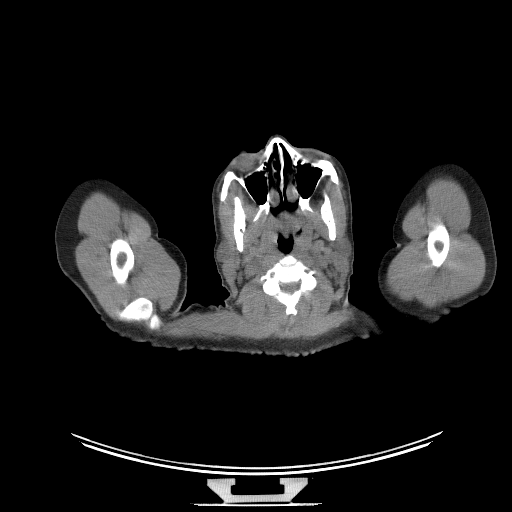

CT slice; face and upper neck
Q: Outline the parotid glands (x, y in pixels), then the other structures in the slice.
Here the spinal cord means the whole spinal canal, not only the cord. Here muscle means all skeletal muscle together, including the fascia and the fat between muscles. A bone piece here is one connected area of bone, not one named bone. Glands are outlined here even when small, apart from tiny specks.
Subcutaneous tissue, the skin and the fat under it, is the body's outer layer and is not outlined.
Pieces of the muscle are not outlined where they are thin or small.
A: The parotid glands appear in 2 outlined pieces: piece 1: (342, 231) (343, 231) (343, 233) (345, 237) (347, 238) (350, 244) (350, 251) (348, 255) (343, 255) (340, 252) (339, 250) (333, 248) (330, 244) (330, 243) (333, 243) (337, 239) (337, 238) (339, 236) (339, 234) (340, 232); piece 2: (226, 240) (227, 240) (227, 241) (228, 242) (229, 242) (229, 246) (230, 247) (230, 251) (229, 252) (229, 255) (228, 256) (228, 257) (224, 261) (222, 261) (218, 258) (218, 255) (217, 254) (217, 251) (218, 250) (218, 247) (219, 246) (219, 245) (223, 242) (224, 242). The muscle appears in 2 outlined pieces: piece 1: (330, 160) (345, 191) (347, 237) (343, 230) (337, 237) (325, 191) (319, 213) (330, 246) (349, 255) (342, 301) (357, 319) (326, 335) (218, 340) (148, 333) (109, 317) (78, 271) (77, 215) (99, 189) (142, 215) (179, 266) (178, 294) (167, 312) (172, 319) (227, 309) (233, 297) (220, 261) (231, 251) (227, 239) (220, 243) (217, 186) (222, 176) (219, 201) (226, 200) (236, 181) (257, 203) (254, 221) (297, 207) (304, 214) (313, 211) (312, 193) (324, 178) (340, 183) with holes at (288, 253) (300, 260) (310, 268) (314, 269) (316, 271) (314, 276) (317, 281) (316, 286) (312, 290) (303, 294) (300, 297) (296, 304) (297, 313) (294, 315) (293, 314) (287, 315) (285, 313) (285, 306) (263, 291) (262, 282) (260, 280) (261, 276) (269, 268) and at (137, 297) (146, 297) (152, 302) (153, 311) (161, 318) (163, 322) (163, 325) (160, 328) (160, 329) (158, 330) (152, 330) (150, 329) (143, 321) (138, 323) (137, 322) (126, 322) (125, 321) (121, 321) (117, 318) (114, 312) (116, 310) (120, 310) (122, 309) (126, 304) and at (117, 238) (122, 238) (126, 240) (131, 247) (134, 254) (134, 266) (133, 267) (133, 269) (129, 273) (127, 282) (124, 286) (120, 286) (116, 283) (112, 274) (112, 270) (111, 269) (111, 266) (110, 265) (110, 260) (109, 259) (109, 254) (110, 253) (110, 245) (111, 243) and at (235, 196) (237, 196) (241, 200) (242, 207) (246, 215) (246, 218) (245, 219) (246, 224) (245, 225) (245, 230) (243, 233) (243, 250) (241, 252) (240, 252) (236, 248) (236, 243) (233, 235) (233, 221) (234, 220) (233, 218) (233, 214) (234, 213) (234, 201) (233, 200) and at (279, 236) (281, 236) (283, 238) (285, 238) (286, 239) (287, 238) (288, 238) (290, 236) (291, 236) (292, 237) (292, 239) (293, 240) (293, 243) (292, 244) (290, 249) (288, 251) (285, 251) (283, 249) (281, 249) (279, 247) (279, 246) (278, 245) (278, 237); piece 2: (439, 173) (455, 178) (468, 196) (472, 216) (469, 230) (483, 249) (486, 273) (484, 280) (475, 290) (451, 301) (443, 302) (436, 307) (427, 308) (417, 301) (402, 301) (388, 292) (384, 278) (389, 263) (404, 244) (401, 227) (404, 214) (412, 203) (424, 194) (429, 181) with a hole at (439, 222) (441, 222) (445, 226) (449, 234) (449, 239) (450, 240) (450, 246) (449, 247) (449, 250) (448, 251) (447, 256) (444, 262) (439, 267) (435, 267) (431, 265) (431, 261) (427, 255) (427, 236) (428, 235) (428, 233) (429, 231) (433, 227) (433, 225). The spinal cord is outlined by (292, 282) (299, 282) (299, 286) (298, 287) (298, 288) (296, 290) (295, 290) (292, 293) (288, 293) (287, 292) (284, 292) (281, 289) (281, 288) (280, 287) (280, 284) (281, 283) (291, 283). The bones appear in 7 outlined pieces: piece 1: (274, 136) (285, 139) (306, 156) (329, 160) (339, 183) (335, 184) (326, 176) (314, 190) (320, 170) (307, 163) (299, 165) (294, 178) (296, 187) (304, 198) (311, 195) (309, 204) (312, 211) (303, 213) (295, 201) (289, 201) (283, 194) (277, 205) (271, 205) (267, 215) (262, 213) (254, 220) (258, 204) (266, 200) (268, 187) (264, 172) (255, 172) (245, 179) (253, 198) (233, 180) (222, 202) (219, 197) (223, 177) (228, 170) (238, 175) (248, 171), around holes outlined by (285, 153) (286, 153) (288, 155) (288, 156) (289, 157) (289, 159) (290, 160) (290, 165) (289, 166) (288, 166) (287, 167) (287, 170) (286, 171) (286, 175) (286, 158) (285, 157) and by (275, 146) (275, 147) (276, 148) (276, 152) (277, 153) (277, 159) (278, 160) (278, 167) (277, 168) (276, 167) (276, 158) (274, 156) (273, 156) (272, 157) (272, 158) (272, 155) (274, 153) (274, 148) (275, 147); piece 2: (288, 253) (300, 260) (310, 268) (314, 269) (316, 271) (314, 276) (317, 281) (316, 286) (312, 290) (303, 294) (300, 297) (296, 304) (297, 313) (294, 315) (293, 314) (287, 315) (285, 313) (285, 306) (263, 291) (262, 282) (260, 280) (261, 276) (269, 268), around a hole outlined by (292, 282) (299, 282) (299, 286) (298, 287) (298, 288) (296, 290) (295, 290) (292, 293) (288, 293) (287, 292) (284, 292) (281, 289) (281, 288) (280, 287) (280, 284) (281, 283) (291, 283); piece 3: (137, 297) (146, 297) (152, 302) (153, 311) (161, 318) (163, 322) (163, 325) (160, 328) (160, 329) (158, 330) (152, 330) (150, 329) (143, 321) (138, 323) (137, 322) (126, 322) (125, 321) (121, 321) (117, 318) (114, 312) (116, 310) (120, 310) (122, 309) (126, 304); piece 4: (117, 238) (122, 238) (126, 240) (131, 247) (134, 254) (134, 266) (133, 267) (133, 269) (129, 273) (127, 282) (124, 286) (120, 286) (116, 283) (112, 274) (112, 270) (111, 269) (111, 266) (110, 265) (110, 260) (109, 259) (109, 254) (110, 253) (110, 245) (111, 243); piece 5: (439, 222) (441, 222) (445, 226) (449, 234) (449, 239) (450, 240) (450, 246) (449, 247) (449, 250) (448, 251) (447, 256) (444, 262) (439, 267) (435, 267) (431, 265) (431, 261) (427, 255) (427, 236) (428, 235) (428, 233) (429, 231) (433, 227) (433, 225); piece 6: (235, 196) (237, 196) (241, 200) (242, 207) (246, 215) (246, 218) (245, 219) (246, 224) (245, 225) (245, 230) (243, 233) (243, 250) (241, 252) (240, 252) (236, 248) (236, 243) (233, 235) (233, 221) (234, 220) (233, 218) (233, 214) (234, 213) (234, 201) (233, 200); piece 7: (324, 192) (325, 192) (329, 197) (330, 204) (331, 205) (331, 209) (332, 210) (334, 220) (335, 221) (335, 226) (336, 227) (336, 237) (334, 240) (330, 240) (329, 239) (327, 226) (321, 218) (320, 209) (321, 208) (321, 205) (324, 201) (324, 197) (323, 196) (323, 193). The head and neck is outlined by (276, 133) (284, 136) (294, 147) (314, 147) (336, 157) (350, 186) (354, 259) (343, 312) (344, 343) (307, 356) (269, 354) (255, 331) (226, 305) (224, 299) (228, 291) (221, 285) (213, 256) (215, 232) (211, 192) (216, 177) (240, 150) (255, 152) (263, 149) (270, 136), around holes outlined by (305, 164) (309, 165) (312, 168) (316, 168) (318, 169) (320, 172) (319, 176) (315, 182) (313, 188) (313, 191) (311, 194) (308, 195) (306, 197) (304, 197) (301, 195) (300, 192) (298, 190) (297, 182) (295, 178) (296, 175) (298, 173) (298, 167) (299, 166) (302, 166) and by (258, 172) (263, 172) (263, 175) (265, 178) (265, 183) (267, 187) (267, 190) (266, 191) (266, 195) (265, 196) (265, 200) (262, 203) (258, 203) (254, 199) (252, 194) (250, 193) (246, 185) (246, 179) (250, 176) (251, 176) (253, 174) (255, 173) (257, 173) and by (283, 195) (284, 197) (285, 196) (286, 199) (289, 202) (291, 203) (294, 203) (295, 202) (297, 206) (294, 209) (287, 209) (286, 208) (284, 208) (280, 210) (277, 213) (273, 213) (271, 211) (271, 208) (272, 207) (275, 207) (278, 205) (280, 197) (281, 198) and by (279, 236) (281, 236) (283, 238) (285, 238) (286, 239) (287, 238) (288, 238) (290, 236) (291, 236) (292, 237) (292, 239) (293, 240) (293, 243) (292, 244) (290, 249) (288, 251) (285, 251) (283, 249) (281, 249) (279, 247) (279, 246) (278, 245) (278, 237) and by (285, 153) (286, 153) (288, 155) (288, 156) (289, 157) (289, 159) (290, 160) (290, 165) (289, 166) (288, 166) (287, 167) (287, 170) (286, 171) (286, 175) (286, 158) (285, 157) and by (275, 146) (275, 147) (276, 148) (276, 152) (277, 153) (277, 159) (278, 160) (278, 167) (277, 168) (276, 167) (276, 158) (274, 156) (273, 156) (272, 157) (272, 158) (272, 155) (274, 153) (274, 148) (275, 147). The right arm is outlined by (92, 176) (105, 177) (113, 181) (141, 202) (154, 217) (158, 226) (158, 235) (174, 243) (181, 250) (187, 262) (187, 292) (181, 305) (181, 309) (134, 341) (130, 341) (118, 336) (105, 326) (83, 294) (63, 274) (57, 262) (54, 231) (59, 211) (70, 191) (78, 183). The torso appears in 2 outlined pieces: piece 1: (194, 302) (198, 302) (204, 305) (222, 304) (224, 302) (225, 305) (234, 314) (254, 331) (261, 340) (266, 351) (270, 356) (250, 355) (249, 354) (240, 354) (230, 352) (216, 352) (207, 350) (200, 351) (195, 349) (176, 351) (173, 349) (152, 347) (147, 343) (134, 342); piece 2: (349, 300) (355, 304) (360, 305) (367, 309) (376, 317) (383, 321) (389, 327) (389, 330) (386, 333) (382, 335) (372, 336) (370, 338) (365, 340) (363, 340) (362, 339) (355, 339) (348, 342) (345, 342) (345, 337) (344, 336) (344, 312) (346, 307) (346, 303) (347, 301). The left arm is outlined by (440, 161) (453, 161) (465, 166) (480, 185) (489, 211) (497, 257) (497, 269) (493, 285) (485, 295) (454, 309) (437, 322) (429, 324) (413, 318) (403, 317) (390, 309) (378, 290) (377, 270) (384, 253) (395, 245) (392, 237) (392, 226) (402, 199) (420, 174) (431, 165).